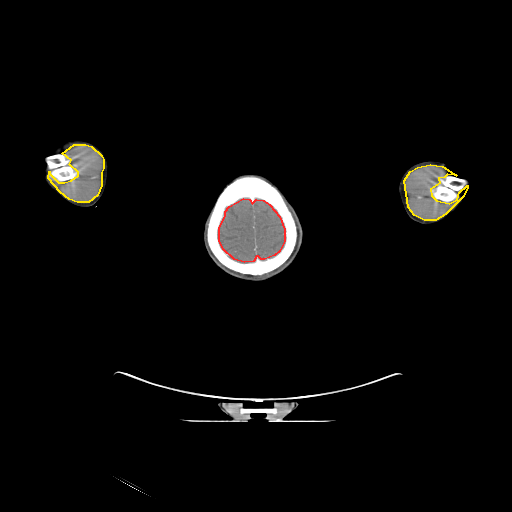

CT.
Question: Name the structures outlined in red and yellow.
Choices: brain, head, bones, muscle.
Answer: red: brain; yellow: muscle.
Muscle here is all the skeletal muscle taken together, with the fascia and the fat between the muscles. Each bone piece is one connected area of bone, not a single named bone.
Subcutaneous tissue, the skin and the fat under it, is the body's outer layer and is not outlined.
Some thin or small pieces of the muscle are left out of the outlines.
Outlined structures:
brain: 243 198; 249 199; 252 203; 256 199; 263 200; 269 204; 279 216; 284 229; 284 241; 279 251; 274 255; 264 259; 261 259; 258 256; 256 256; 253 261; 244 262; 234 259; 223 249; 219 240; 219 228; 225 215; 225 211; 229 206
muscle 1: 430 164; 442 166; 456 175; 447 174; 444 177; 438 178; 439 183; 430 189; 431 195; 436 200; 449 203; 457 199; 459 192; 467 185; 467 187; 463 196; 445 214; 435 220; 424 220; 414 215; 408 207; 404 180; 410 171; 417 167
muscle 2: 74 144; 85 144; 91 146; 101 155; 103 159; 103 168; 101 172; 101 185; 97 195; 88 202; 77 202; 69 199; 60 192; 48 178; 49 171; 49 173; 58 182; 64 182; 71 180; 78 175; 78 172; 69 164; 71 160; 62 153
left arm: 423 160; 437 160; 444 162; 455 168; 458 168; 467 174; 469 178; 476 184; 476 188; 467 195; 463 203; 455 211; 443 220; 432 225; 423 225; 420 224; 412 220; 406 214; 400 201; 400 198; 397 189; 398 180; 404 170; 410 165
right arm: 69 140; 86 140; 96 144; 103 150; 108 160; 108 176; 107 177; 107 183; 105 191; 98 201; 95 204; 89 207; 85 208; 77 207; 66 201; 47 185; 42 174; 42 169; 46 165; 45 158; 48 155; 48 152; 56 144
bones 1: 246 174; 254 174; 261 176; 279 189; 284 196; 289 209; 292 212; 298 231; 296 245; 288 259; 279 267; 262 275; 242 274; 227 268; 216 259; 209 249; 206 242; 206 224; 208 216; 214 205; 216 198; 222 189; 229 182; 238 176, around a hole outlined by 243 198; 249 199; 252 203; 256 199; 263 200; 269 204; 279 216; 284 229; 284 241; 279 251; 274 255; 264 259; 261 259; 258 256; 256 256; 253 261; 244 262; 234 259; 223 249; 219 240; 219 228; 225 215; 225 211; 229 206
bones 2: 447 175; 453 175; 457 177; 460 177; 461 178; 465 179; 467 181; 467 184; 460 191; 458 192; 458 197; 449 202; 445 202; 439 199; 436 199; 432 195; 431 193; 431 189; 435 188; 440 183; 439 181; 439 178; 444 178
bones 3: 56 153; 61 153; 70 160; 68 164; 76 172; 77 172; 77 175; 75 177; 71 179; 65 180; 64 181; 58 181; 56 180; 55 178; 50 173; 50 171; 46 166; 46 162; 45 161; 45 158; 48 155; 51 155; 52 154; 55 154
head: 242 174; 257 174; 271 181; 293 205; 299 216; 303 228; 302 245; 293 263; 287 269; 275 277; 261 282; 252 282; 236 279; 222 272; 212 263; 208 257; 204 249; 202 240; 204 222; 212 209; 216 198; 226 184; 237 176